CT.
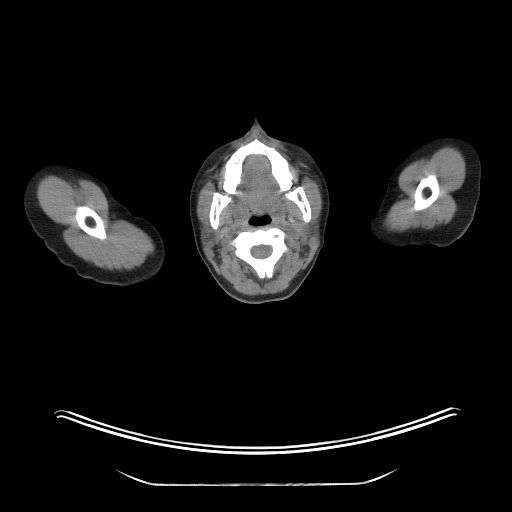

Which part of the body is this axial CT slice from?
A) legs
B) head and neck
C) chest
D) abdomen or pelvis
Answer: B) head and neck
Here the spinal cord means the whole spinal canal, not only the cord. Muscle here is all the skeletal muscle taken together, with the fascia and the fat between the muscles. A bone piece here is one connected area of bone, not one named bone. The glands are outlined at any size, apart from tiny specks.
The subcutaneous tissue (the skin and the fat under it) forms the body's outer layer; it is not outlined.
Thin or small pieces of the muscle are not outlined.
Outlines (x, y in pixels):
muscle 1: [[254,133],[281,144],[307,163],[320,184],[322,208],[320,216],[308,225],[319,243],[302,277],[279,293],[249,296],[234,290],[215,271],[202,247],[214,236],[221,212],[237,192],[246,157],[265,156],[279,191],[285,192],[284,196],[298,207],[305,223],[312,219],[304,187],[291,189],[293,174],[288,160],[275,147],[255,137],[237,147],[224,163],[224,193],[212,192],[209,225],[200,223],[196,203],[205,171],[232,145]], around holes outlined by [[270,227],[279,228],[284,232],[285,234],[284,241],[287,250],[275,263],[272,276],[269,278],[268,277],[260,278],[257,275],[256,271],[247,262],[239,258],[235,254],[235,247],[231,243],[231,241],[239,232],[247,230],[252,231],[257,228],[266,229]] and by [[263,216],[267,216],[269,218],[269,221],[268,222],[266,222],[265,223],[260,223],[259,224],[252,224],[251,223],[250,223],[250,219],[252,217],[262,217]]
muscle 2: [[49,174],[57,176],[73,176],[87,179],[97,184],[103,191],[110,210],[118,217],[142,229],[153,240],[156,249],[152,256],[141,265],[130,270],[104,269],[77,256],[66,245],[62,233],[55,227],[53,221],[45,214],[38,203],[36,185],[42,177]]; inner edge: [[82,205],[88,206],[90,208],[94,210],[103,220],[105,224],[105,231],[106,232],[106,237],[104,239],[100,239],[99,238],[97,238],[94,236],[92,236],[88,234],[86,232],[85,232],[78,225],[74,216],[76,212],[76,208],[78,206],[81,206]]
muscle 3: [[445,145],[457,147],[462,152],[466,162],[466,175],[461,187],[461,193],[456,202],[457,211],[453,218],[446,224],[418,232],[395,233],[386,230],[382,225],[382,221],[392,199],[401,171],[412,161],[421,157],[428,157],[437,149]], around a hole outlined by [[429,174],[434,174],[436,176],[437,178],[437,181],[439,185],[440,193],[438,197],[428,207],[422,210],[418,210],[416,211],[413,209],[413,205],[414,204],[414,199],[413,198],[413,195],[414,194],[415,189],[421,179],[423,177],[425,177]]
left arm: [[442,135],[455,135],[466,139],[475,147],[480,158],[480,196],[476,206],[474,219],[471,225],[458,240],[446,247],[419,245],[391,246],[375,240],[370,235],[369,222],[378,209],[380,202],[386,191],[388,180],[392,172],[397,165],[415,148],[431,138]]
head and neck: [[253,113],[260,115],[258,122],[270,136],[297,144],[305,148],[313,156],[326,180],[330,201],[324,243],[304,281],[288,298],[259,304],[238,301],[228,295],[218,285],[197,251],[189,215],[190,189],[200,164],[210,151],[240,137],[248,130],[253,122]]; inner edge: [[263,216],[267,216],[269,218],[269,221],[268,222],[266,222],[265,223],[260,223],[259,224],[252,224],[251,223],[250,223],[250,219],[252,217],[262,217]]
right arm: [[49,163],[67,164],[96,176],[108,186],[112,195],[132,214],[145,218],[156,227],[165,246],[165,260],[162,268],[154,277],[143,283],[129,286],[98,283],[77,275],[71,267],[60,263],[55,255],[46,248],[26,217],[23,193],[32,173],[40,166]]
spinal cord: [[259,245],[269,245],[271,247],[271,252],[270,253],[270,254],[268,256],[267,256],[266,257],[265,257],[264,258],[257,258],[256,257],[254,257],[252,255],[252,254],[251,253],[251,248],[252,247],[253,247],[254,246],[258,246]]
bones 1: [[255,138],[275,148],[287,160],[292,174],[290,189],[303,187],[311,219],[305,222],[299,207],[285,196],[285,191],[280,191],[269,159],[263,154],[249,154],[242,163],[236,192],[230,195],[214,229],[209,211],[213,192],[225,193],[224,165],[237,148]]
bones 2: [[270,227],[279,228],[284,232],[285,234],[284,241],[287,250],[275,263],[272,276],[269,278],[268,277],[260,278],[257,275],[256,271],[247,262],[239,258],[235,254],[235,247],[231,243],[231,241],[239,232],[247,230],[252,231],[257,228],[266,229]], around a hole outlined by [[259,245],[269,245],[271,247],[271,252],[270,253],[270,254],[268,256],[267,256],[266,257],[265,257],[264,258],[257,258],[256,257],[254,257],[252,255],[252,254],[251,253],[251,248],[252,247],[253,247],[254,246],[258,246]]
bones 3: [[82,205],[88,206],[90,208],[94,210],[103,220],[105,224],[105,231],[106,232],[106,237],[104,239],[100,239],[99,238],[97,238],[94,236],[92,236],[88,234],[86,232],[85,232],[78,225],[74,216],[76,212],[76,208],[78,206],[81,206]]
bones 4: [[429,174],[434,174],[436,176],[437,178],[437,181],[439,185],[440,193],[438,197],[428,207],[422,210],[418,210],[416,211],[413,209],[413,205],[414,204],[414,199],[413,198],[413,195],[414,194],[415,189],[421,179],[423,177],[425,177]]
parotid glands 1: [[200,224],[202,224],[203,225],[204,225],[205,226],[209,226],[213,230],[213,236],[206,243],[205,243],[203,245],[202,245],[202,243],[201,242],[201,238],[200,237]]
parotid glands 2: [[318,217],[319,217],[319,238],[315,234],[314,234],[313,233],[312,233],[309,230],[309,225],[312,222],[313,222],[314,221],[314,219],[315,218],[317,218]]